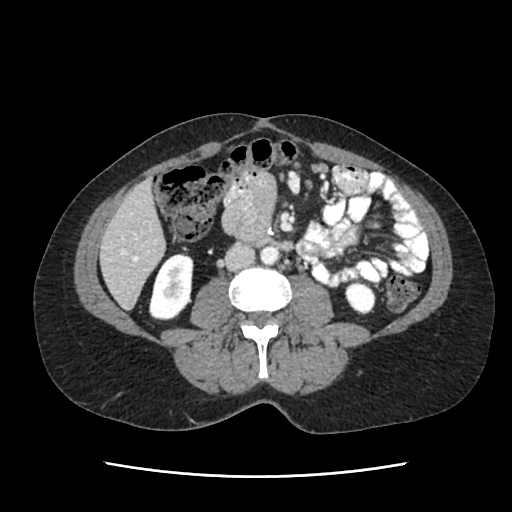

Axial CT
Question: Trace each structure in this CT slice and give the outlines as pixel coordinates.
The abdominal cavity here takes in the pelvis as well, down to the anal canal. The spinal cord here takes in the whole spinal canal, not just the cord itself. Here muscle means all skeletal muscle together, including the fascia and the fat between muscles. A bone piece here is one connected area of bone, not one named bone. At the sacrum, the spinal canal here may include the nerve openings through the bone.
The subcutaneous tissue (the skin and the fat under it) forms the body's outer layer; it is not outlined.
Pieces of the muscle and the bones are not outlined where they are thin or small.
Answer: The bones are outlined by 262 379; 268 376; 266 360; 268 343; 277 336; 280 326; 276 313; 287 305; 292 293; 289 281; 284 275; 271 269; 250 268; 233 277; 229 284; 228 296; 231 304; 240 311; 241 322; 239 326; 243 336; 253 341; 257 347; 258 377, around a hole outlined by 259 327; 262 327; 265 324; 266 324; 270 320; 270 316; 268 314; 268 313; 267 312; 255 312; 254 313; 250 313; 249 314; 249 319; 254 324; 255 324; 256 325; 257 325. The spinal cord is outlined by 259 327; 262 327; 265 324; 266 324; 270 320; 270 316; 268 314; 268 313; 267 312; 255 312; 254 313; 250 313; 249 314; 249 319; 254 324; 255 324; 256 325; 257 325. The abdominal cavity is outlined by 159 338; 165 329; 198 327; 189 321; 197 291; 215 276; 231 278; 250 267; 313 278; 330 296; 335 315; 326 324; 373 333; 425 294; 431 280; 426 232; 385 174; 321 160; 275 135; 257 133; 153 174; 113 216; 97 277; 111 301. The torso is outlined by 319 435; 417 421; 452 408; 472 390; 488 358; 495 318; 494 286; 472 223; 452 195; 421 168; 360 131; 322 116; 219 112; 152 135; 92 178; 49 238; 32 294; 35 336; 48 376; 82 409; 138 428; 193 430; 266 403; 298 429. The muscle is outlined by 231 395; 245 392; 258 384; 265 383; 275 390; 288 395; 295 393; 310 394; 324 389; 331 385; 344 371; 349 363; 353 351; 356 348; 380 337; 403 332; 411 325; 427 318; 434 313; 443 304; 447 297; 452 281; 453 266; 452 254; 446 229; 443 221; 430 201; 403 178; 371 160; 332 145; 311 141; 308 139; 301 139; 289 132; 267 124; 259 124; 239 135; 236 135; 222 141; 213 141; 206 143; 180 156; 148 169; 120 186; 107 196; 89 216; 77 244; 73 266; 73 279; 75 290; 80 303; 89 313; 112 326; 117 331; 123 334; 143 338; 166 348; 171 354; 174 364; 180 374; 194 387; 205 393; 213 394; 223 391, around a hole outlined by 262 379; 268 376; 268 343; 277 336; 280 326; 276 313; 292 297; 286 275; 307 275; 328 291; 335 315; 326 324; 347 323; 373 333; 407 313; 423 297; 431 274; 426 232; 388 176; 321 160; 288 140; 257 133; 216 153; 138 182; 124 197; 101 241; 97 277; 111 301; 159 338; 165 329; 198 327; 189 321; 197 291; 215 276; 231 278; 228 296; 240 311; 243 336; 257 347; 258 377.